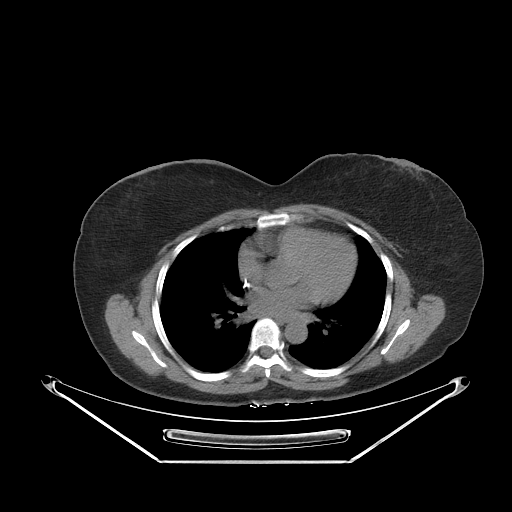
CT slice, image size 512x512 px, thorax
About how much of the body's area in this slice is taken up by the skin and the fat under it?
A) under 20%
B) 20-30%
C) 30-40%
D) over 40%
D) over 40%
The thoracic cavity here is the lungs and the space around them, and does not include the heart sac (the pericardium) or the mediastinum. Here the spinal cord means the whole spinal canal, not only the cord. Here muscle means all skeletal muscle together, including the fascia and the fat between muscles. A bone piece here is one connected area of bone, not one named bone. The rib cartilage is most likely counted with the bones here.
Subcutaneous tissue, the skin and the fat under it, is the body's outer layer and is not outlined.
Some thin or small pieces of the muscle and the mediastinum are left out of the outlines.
The thoracic cavity appears in 2 outlined pieces: piece 1: 239 225; 253 228; 252 233; 238 247; 237 269; 244 292; 242 299; 253 310; 253 318; 256 320; 251 328; 247 353; 243 359; 225 370; 201 371; 192 367; 176 351; 167 336; 160 313; 164 281; 172 262; 195 239; 215 231; 228 231; piece 2: 355 234; 364 238; 371 245; 385 271; 387 279; 380 319; 371 337; 347 361; 329 368; 310 367; 288 356; 285 350; 287 352; 291 345; 299 345; 306 341; 309 332; 308 325; 312 321; 314 311; 334 304; 347 291; 358 265. The bones appear in 12 outlined pieces: piece 1: 265 317; 271 318; 277 324; 280 330; 280 338; 284 342; 284 351; 293 366; 290 371; 287 371; 279 364; 273 364; 269 370; 269 377; 265 375; 265 369; 257 364; 253 364; 245 372; 242 372; 239 369; 247 357; 252 328; 257 320 with a hole at 263 346; 267 346; 268 347; 270 347; 272 349; 272 350; 273 351; 273 352; 272 353; 272 354; 270 356; 269 356; 268 357; 262 357; 259 354; 259 353; 258 352; 259 351; 259 349; 261 347; 262 347; piece 2: 167 261; 169 262; 170 265; 165 274; 161 290; 161 294; 159 298; 159 313; 166 336; 172 347; 175 350; 176 356; 178 360; 166 349; 158 336; 154 325; 152 316; 152 310; 151 309; 152 301; 155 297; 155 287; 158 274; 161 266; piece 3: 281 212; 286 212; 290 214; 291 213; 302 214; 304 215; 304 219; 305 220; 303 221; 292 221; 284 225; 269 225; 260 229; 255 226; 251 227; 244 225; 247 222; 249 222; 252 220; 255 220; 260 215; 268 214; 269 213; 280 213; piece 4: 386 291; 389 292; 391 294; 391 308; 390 309; 390 313; 389 314; 387 322; 385 325; 385 327; 383 330; 383 332; 374 345; 371 347; 369 347; 372 337; 381 319; 381 316; 382 315; 383 308; 384 307; 384 302; 385 301; piece 5: 181 363; 187 366; 189 366; 201 372; 207 372; 208 373; 217 373; 218 372; 225 371; 229 369; 231 370; 231 374; 230 376; 226 378; 224 378; 223 379; 220 379; 216 381; 204 381; 203 380; 196 379; 190 374; 189 374; 184 369; piece 6: 343 364; 349 364; 350 365; 348 368; 339 374; 333 375; 332 376; 328 376; 327 377; 316 377; 315 376; 307 375; 301 372; 299 369; 299 368; 302 366; 307 366; 310 368; 313 368; 314 369; 329 369; 330 368; 334 368; 340 366; piece 7: 133 330; 135 330; 137 331; 144 337; 144 338; 146 340; 148 344; 155 352; 156 355; 163 362; 164 362; 167 365; 166 367; 163 367; 161 366; 158 363; 157 363; 152 357; 148 349; 145 346; 139 343; 133 337; 132 335; 132 331; piece 8: 406 319; 409 319; 410 321; 408 327; 402 333; 399 334; 396 337; 396 338; 394 340; 394 341; 392 343; 392 344; 390 346; 388 350; 384 354; 381 354; 380 351; 388 344; 388 343; 394 335; 395 332; 397 330; 397 328; 398 326; piece 9: 380 253; 384 253; 389 258; 390 260; 390 262; 391 263; 391 266; 392 267; 392 271; 393 272; 393 280; 392 281; 389 281; 387 278; 387 275; 386 274; 386 271; 385 270; 385 268; 379 256; 379 254; piece 10: 194 234; 197 234; 197 237; 195 238; 192 241; 191 241; 188 244; 187 244; 178 253; 178 254; 174 258; 174 259; 173 259; 172 258; 172 252; 175 246; 176 246; 181 241; 182 241; 184 239; piece 11: 347 222; 350 222; 351 223; 352 223; 354 225; 356 225; 357 226; 360 227; 366 232; 367 232; 372 238; 372 239; 373 240; 373 243; 372 244; 371 244; 364 237; 363 237; 361 235; 354 232; 351 229; 350 229; 346 225; 346 223; piece 12: 230 223; 235 223; 236 224; 237 224; 238 225; 236 225; 235 226; 234 226; 233 227; 233 228; 232 228; 231 229; 229 229; 228 230; 225 230; 224 231; 217 231; 216 230; 220 226; 221 226; 222 225; 225 225; 226 224; 229 224. The torso is outlined by 347 152; 405 158; 431 170; 459 196; 476 228; 484 259; 483 285; 465 332; 443 356; 367 392; 265 406; 167 399; 130 386; 108 369; 85 330; 73 284; 73 255; 81 221; 102 191; 148 166; 188 158; 219 160; 279 184; 322 155. The muscle is outlined by 297 203; 315 203; 320 205; 325 205; 333 207; 347 212; 369 224; 393 243; 393 245; 397 252; 401 256; 401 259; 398 262; 407 274; 411 286; 415 290; 415 292; 417 294; 421 295; 431 293; 440 296; 444 300; 446 312; 443 320; 430 335; 425 343; 413 354; 396 363; 394 363; 390 366; 377 368; 359 376; 354 377; 345 384; 341 386; 335 387; 332 389; 299 390; 284 386; 273 381; 269 381; 265 387; 256 391; 246 392; 245 393; 236 393; 235 394; 217 394; 216 393; 204 392; 189 387; 180 387; 172 385; 170 383; 164 382; 161 380; 155 379; 153 377; 149 376; 144 372; 139 370; 133 365; 129 359; 120 352; 111 337; 109 329; 105 321; 104 311; 105 310; 106 302; 108 298; 114 293; 122 293; 126 295; 134 296; 138 291; 137 287; 141 278; 145 274; 147 270; 156 261; 155 256; 158 253; 159 250; 168 241; 172 240; 182 232; 186 231; 220 213; 231 209; 235 208; 260 208; 271 211; 275 208; 281 206; 296 204; inner edges: 281 212; 302 214; 306 221; 325 220; 342 226; 350 222; 369 234; 375 253; 378 256; 384 253; 389 258; 393 272; 393 280; 386 280; 385 290; 391 294; 391 308; 383 332; 371 347; 371 337; 344 363; 349 364; 349 367; 336 375; 316 377; 304 374; 299 368; 305 365; 290 357; 293 366; 290 371; 276 363; 270 367; 267 377; 265 369; 257 364; 253 364; 245 372; 240 371; 245 357; 229 368; 231 374; 226 378; 216 381; 196 379; 181 363; 190 365; 177 352; 178 360; 166 349; 154 325; 151 306; 161 266; 167 261; 171 264; 175 246; 194 234; 197 234; 198 238; 214 232; 222 225; 243 225; 260 215, then 133 330; 135 330; 137 331; 144 337; 144 338; 146 340; 148 344; 155 352; 156 355; 163 362; 164 362; 167 365; 166 367; 163 367; 161 366; 158 363; 157 363; 152 357; 148 349; 145 346; 139 343; 133 337; 132 335; 132 331, then 406 319; 409 319; 410 321; 408 327; 402 333; 399 334; 396 337; 396 338; 394 340; 394 341; 392 343; 392 344; 390 346; 388 350; 384 354; 381 354; 380 351; 388 344; 388 343; 394 335; 395 332; 397 330; 397 328; 398 326. The mediastinum appears in 3 outlined pieces: piece 1: 244 290; 249 299; 257 307; 270 312; 297 313; 324 307; 313 311; 311 321; 307 325; 308 332; 305 341; 299 344; 291 344; 287 351; 285 349; 285 342; 281 338; 281 330; 278 324; 268 316; 258 319; 254 318; 254 310; 243 299; piece 2: 312 220; 325 220; 328 222; 333 222; 336 224; 338 224; 342 226; 345 226; 354 233; 355 233; 353 235; 353 239; 352 236; 349 233; 342 230; 340 228; 338 228; 336 226; 332 224; 327 224; 326 223; 323 223; 319 221; piece 3: 254 227; 257 228; 259 230; 258 231; 257 231; 253 235; 252 235; 251 236; 248 237; 245 240; 244 240; 245 239; 245 238; 246 238; 248 236; 249 236; 251 234; 252 234; 253 233; 253 232; 254 231. The spinal cord is outlined by 263 346; 267 346; 268 347; 270 347; 272 349; 272 350; 273 351; 273 352; 272 353; 272 354; 270 356; 269 356; 268 357; 262 357; 259 354; 259 353; 258 352; 259 351; 259 349; 261 347; 262 347. The pericardium is outlined by 305 221; 315 221; 332 225; 351 236; 356 247; 357 265; 349 286; 343 295; 334 303; 314 307; 305 311; 270 311; 257 306; 246 293; 246 290; 244 289; 240 280; 238 269; 238 251; 240 246; 248 238; 269 226; 284 226; 292 222.